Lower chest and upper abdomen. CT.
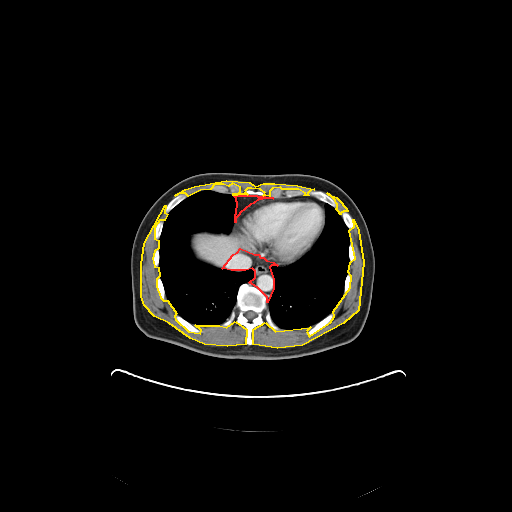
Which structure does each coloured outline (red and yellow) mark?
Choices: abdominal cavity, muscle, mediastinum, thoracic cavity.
red: mediastinum; yellow: muscle.
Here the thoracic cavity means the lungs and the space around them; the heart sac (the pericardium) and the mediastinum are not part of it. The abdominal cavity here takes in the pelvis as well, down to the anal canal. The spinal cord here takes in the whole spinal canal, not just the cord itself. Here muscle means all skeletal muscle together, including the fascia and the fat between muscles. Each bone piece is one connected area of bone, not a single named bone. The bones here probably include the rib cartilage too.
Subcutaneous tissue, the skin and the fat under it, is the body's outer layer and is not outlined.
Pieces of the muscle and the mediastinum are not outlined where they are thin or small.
mediastinum 1: 240,248 254,254 258,254 260,257 263,257 266,260 273,262 277,265 271,265 269,267 273,279 273,288 267,302 267,297 257,287 249,282 255,277 255,271 252,268 245,270 231,270 222,268 233,254 237,252
mediastinum 2: 234,195 256,195 257,196 264,196 265,197 271,197 273,198 262,198 261,199 258,199 253,203 250,204 239,213 239,214 236,217 235,219 235,222 235,214 236,213 237,202 236,201 236,198 234,196
muscle 1: 165,205 164,212 167,214 164,220 159,220 154,227 154,238 158,240 158,248 154,251 152,258 154,266 158,267 159,276 156,279 156,286 160,297 163,300 167,300 176,313 174,316 175,319 188,331 200,333 201,330 195,325 219,325 226,327 235,321 246,329 245,344 227,346 204,344 190,338 169,323 154,316 144,305 141,296 141,264 144,243
muscle 2: 353,219 358,230 363,262 358,310 343,323 302,345 277,348 253,344 253,329 265,322 275,331 310,327 306,331 309,336 330,322 334,316 333,311 350,287 351,276 348,272 350,262 355,258 349,230 354,226
muscle 3: 226,180 249,182 255,186 263,183 274,183 297,185 314,189 309,191 307,193 308,195 304,195 305,193 298,189 282,189 280,187 272,188 269,191 269,196 263,195 265,193 260,189 251,188 247,188 244,191 247,194 232,194 237,194 240,191 240,187 232,183 228,186 223,184 214,184 210,189 200,190 188,196 185,193 184,193 179,193 175,195 185,189 194,186
muscle 4: 327,193 328,193 329,194 336,197 342,203 342,204 346,208 347,211 343,211 342,212 341,212 340,213 340,214 339,213 339,212 336,209 336,208 337,207 337,204 336,203 335,200 330,195 329,195
pericardium: 302,197 316,200 323,204 325,218 324,226 321,233 309,249 295,261 285,265 278,265 273,261 268,260 263,256 260,256 258,253 254,253 240,247 236,243 233,235 236,219 240,213 250,205 262,199 301,198
thoracic cavity 1: 204,190 233,195 236,202 234,222 229,233 209,230 192,233 188,242 193,256 199,262 219,269 254,271 254,277 238,287 235,304 229,316 218,325 197,325 178,314 167,299 159,275 159,239 167,215 187,197
thoracic cavity 2: 325,204 330,205 338,212 349,231 349,266 344,278 343,293 336,307 312,325 295,329 281,328 273,321 268,308 268,302 274,288 274,279 270,267 281,267 291,264 303,256 312,247 322,233 325,226
abdominal cavity: 232,230 233,230 232,231 233,239 235,241 235,243 239,246 239,249 232,254 227,260 226,263 221,268 204,263 196,259 190,248 190,243 189,242 192,234 201,231 209,231 216,233 221,232 225,234 229,234
spinal cord: 250,310 251,310 252,311 253,311 254,312 255,312 256,313 256,316 255,317 254,317 251,320 249,320 245,316 245,315 244,314 245,313 245,312 246,312 247,311 249,311
bones 1: 248,282 266,297 270,317 272,321 280,328 279,330 275,330 269,326 266,321 255,326 251,331 252,344 250,345 245,342 247,337 247,329 244,325 237,323 235,320 229,325 220,325 230,316 236,304 239,287; inner edge: 250,310 251,310 252,311 253,311 254,312 255,312 256,313 256,316 255,317 254,317 251,320 249,320 245,316 245,315 244,314 245,313 245,312 246,312 247,311 249,311
bones 2: 275,188 280,188 282,190 287,190 288,189 290,190 298,190 303,192 304,194 303,195 296,195 291,197 285,197 284,196 281,196 278,198 274,198 270,196 269,194 270,193 270,191 272,189 274,189
bones 3: 314,190 319,190 320,191 325,192 334,200 336,204 336,207 335,208 330,204 328,203 326,203 323,201 321,201 317,199 315,197 311,195 309,195 308,193
bones 4: 332,312 333,313 333,316 332,317 332,318 327,324 326,324 322,328 321,328 316,332 315,332 310,335 307,334 307,331 314,324 317,323 323,318 324,318 326,316 327,316 330,313 331,313
bones 5: 232,184 234,185 236,185 239,187 239,191 237,193 228,193 227,192 225,193 224,192 218,192 217,191 215,191 211,189 211,188 214,185 223,185 224,186 226,186 228,187
bones 6: 179,194 185,194 187,196 183,200 182,200 179,203 178,203 173,208 172,208 168,212 168,213 166,213 165,212 165,207 166,206 166,205 170,201 170,200 171,200 175,196 176,196 177,195 178,195
bones 7: 177,314 178,315 179,315 182,318 183,318 185,320 186,320 187,321 188,321 190,323 193,324 198,329 199,329 200,330 200,332 192,332 191,331 188,330 186,328 185,328 176,319 175,316
bones 8: 343,212 347,212 348,213 349,213 349,214 351,216 351,217 352,218 352,220 353,221 353,226 351,229 349,229 347,227 347,226 345,224 345,223 344,222 344,221 343,220 343,219 341,216 341,213 342,213
bones 9: 159,277 160,278 160,279 162,282 162,284 163,285 163,287 164,288 164,291 165,292 165,296 166,297 166,299 163,299 161,297 161,296 159,293 159,291 158,290 158,287 157,286 157,279
bones 10: 159,221 162,221 163,222 163,225 162,226 162,229 161,230 161,233 160,234 160,236 159,237 159,238 158,239 156,239 155,238 155,227 156,226 156,224
bones 11: 247,189 251,189 252,190 260,190 261,191 262,191 264,193 264,194 263,194 262,195 258,195 257,194 248,194 247,193 246,193 245,192 245,191
bones 12: 157,249 158,249 158,250 159,251 159,262 158,263 158,266 155,266 155,265 154,264 154,262 153,261 153,258 154,257 154,254 155,253 155,251
bones 13: 349,244 351,244 352,245 352,246 353,247 353,248 354,249 354,258 353,259 353,260 352,261 350,261 349,260
bones 14: 348,273 349,274 349,275 350,276 350,281 349,282 349,287 348,288 348,289 345,292 344,292 344,284 345,283 345,278 346,277 346,276 347,275 347,274
torso: 208,172 308,174 333,182 350,196 366,222 375,256 375,274 369,313 361,332 355,339 325,351 300,357 269,360 230,359 205,355 150,338 137,327 133,317 130,260 132,244 138,226 152,204 171,186 186,177